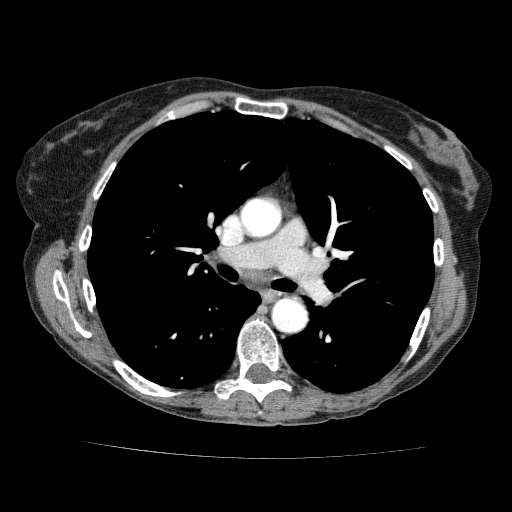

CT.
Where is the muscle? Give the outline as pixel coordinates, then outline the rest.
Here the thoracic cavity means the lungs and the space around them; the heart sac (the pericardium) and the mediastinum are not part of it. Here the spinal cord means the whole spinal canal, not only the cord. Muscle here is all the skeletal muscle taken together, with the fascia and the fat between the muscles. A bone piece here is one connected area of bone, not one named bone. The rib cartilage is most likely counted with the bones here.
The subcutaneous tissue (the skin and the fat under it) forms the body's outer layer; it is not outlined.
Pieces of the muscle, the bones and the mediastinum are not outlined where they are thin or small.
The muscle is outlined by [[215,90],[231,90],[250,97],[236,95],[232,109],[218,109],[208,99],[169,109],[118,161],[109,163],[92,190],[92,199],[97,201],[92,222],[84,225],[78,239],[79,251],[86,253],[88,272],[81,278],[81,289],[87,310],[92,315],[97,311],[119,356],[112,357],[111,364],[141,394],[169,398],[181,395],[182,389],[213,382],[212,391],[220,400],[241,390],[261,404],[274,391],[291,393],[294,374],[326,391],[353,392],[374,384],[399,361],[406,364],[415,354],[430,321],[431,308],[427,303],[435,269],[444,261],[444,241],[438,235],[434,237],[433,214],[439,211],[436,195],[428,186],[419,185],[411,172],[411,161],[393,146],[384,143],[379,147],[329,115],[287,116],[290,107],[284,100],[261,100],[292,97],[328,106],[350,117],[388,139],[422,166],[444,204],[456,269],[464,273],[467,304],[460,327],[424,365],[367,406],[267,421],[217,417],[156,403],[127,389],[81,356],[54,330],[40,306],[33,278],[37,260],[56,239],[63,238],[68,244],[74,237],[79,213],[110,151],[173,100]]; inner edge: [[56,269],[60,270],[62,274],[63,281],[67,288],[69,302],[75,318],[84,329],[91,333],[91,336],[88,338],[84,337],[76,330],[73,321],[69,315],[69,312],[66,304],[59,300],[54,293],[53,285],[52,284],[52,277],[53,276],[53,272]]. The pericardium is outlined by [[248,234],[267,234],[266,235],[265,235],[264,236],[263,236],[262,237],[260,237],[259,238],[253,238],[251,236],[250,236]]. The spinal cord is outlined by [[258,363],[260,363],[261,364],[263,364],[265,365],[271,372],[272,374],[272,376],[268,381],[266,381],[265,382],[260,382],[259,383],[256,383],[255,382],[253,382],[249,378],[247,377],[247,372],[250,368],[250,367],[252,365],[254,364],[257,364]]. The torso is outlined by [[188,76],[259,88],[335,85],[389,96],[451,129],[488,171],[492,193],[478,231],[481,261],[474,314],[461,339],[421,383],[359,416],[316,424],[193,420],[123,393],[71,358],[38,322],[22,269],[34,224],[15,188],[24,152],[54,125],[103,100]]. The thoracic cavity is outlined by [[212,107],[283,123],[316,118],[381,148],[421,188],[432,286],[407,347],[374,383],[323,389],[282,351],[310,321],[303,293],[316,261],[287,164],[216,230],[225,270],[260,297],[226,372],[175,389],[139,374],[112,345],[88,271],[98,201],[142,136]]. The bones appear in 12 outlined pieces: piece 1: [[252,315],[253,318],[258,317],[263,320],[274,332],[293,372],[293,389],[291,392],[284,389],[274,390],[268,393],[261,403],[253,395],[241,389],[235,390],[227,399],[220,399],[213,391],[213,384],[217,379],[230,375],[230,366],[236,355],[240,329]]; inner edge: [[258,363],[260,363],[261,364],[263,364],[265,365],[271,372],[272,374],[272,376],[268,381],[266,381],[265,382],[260,382],[259,383],[256,383],[255,382],[253,382],[249,378],[247,377],[247,372],[250,368],[250,367],[252,365],[254,364],[257,364]]; piece 2: [[114,357],[117,357],[121,359],[135,372],[144,378],[154,383],[156,383],[165,387],[171,388],[174,390],[181,389],[183,392],[179,395],[175,395],[169,397],[154,396],[149,394],[141,393],[139,391],[133,388],[116,371],[112,364],[112,358]]; piece 3: [[236,96],[242,96],[243,97],[247,97],[248,98],[260,100],[261,101],[284,101],[288,105],[289,111],[287,115],[282,119],[278,119],[272,117],[267,117],[261,115],[255,115],[254,114],[243,114],[234,110],[232,108],[233,100]]; piece 4: [[56,269],[60,270],[62,274],[63,281],[67,288],[69,302],[75,318],[84,329],[91,333],[91,336],[88,338],[84,337],[76,330],[73,321],[69,315],[69,312],[66,304],[59,300],[54,293],[53,285],[52,284],[52,277],[53,276],[53,272]]; piece 5: [[426,305],[428,305],[430,308],[430,316],[429,317],[429,321],[427,324],[425,332],[414,354],[406,363],[404,363],[401,361],[400,359],[404,352],[409,348],[408,347],[409,340],[412,335],[412,333],[414,330],[416,323],[419,318],[419,316]]; piece 6: [[197,100],[208,100],[210,101],[213,105],[213,106],[212,106],[210,109],[199,111],[183,117],[180,117],[175,119],[171,119],[165,122],[163,122],[157,126],[154,126],[155,122],[162,115],[169,110],[173,109],[178,106],[186,104],[189,102],[192,102]]; piece 7: [[114,160],[115,160],[117,162],[117,163],[111,175],[109,177],[102,191],[102,193],[101,195],[99,197],[98,200],[95,201],[93,199],[93,190],[97,183],[97,181],[100,177],[100,176],[104,172],[106,168],[110,164],[110,163]]; piece 8: [[84,276],[87,276],[89,278],[90,282],[93,288],[93,291],[94,292],[94,294],[95,295],[95,311],[93,314],[92,314],[88,310],[88,308],[87,307],[87,304],[86,303],[86,301],[85,300],[85,298],[83,294],[83,290],[82,289],[82,278]]; piece 9: [[320,116],[329,116],[332,118],[337,119],[338,120],[343,122],[349,127],[350,127],[356,133],[357,133],[360,137],[355,137],[354,136],[352,136],[345,132],[343,132],[338,129],[336,129],[335,128],[334,128],[333,127],[324,123],[318,118]]; piece 10: [[438,236],[439,237],[440,237],[442,239],[442,240],[443,241],[443,261],[442,262],[442,264],[439,267],[438,267],[437,268],[435,268],[435,266],[434,265],[434,262],[433,261],[433,245],[434,244],[434,238],[435,237],[437,237]]; piece 11: [[384,144],[387,144],[388,145],[393,147],[399,152],[400,152],[403,155],[404,155],[410,161],[410,162],[413,167],[412,170],[411,171],[410,171],[408,169],[407,169],[394,157],[393,157],[389,153],[388,153],[385,150],[384,150],[383,149],[383,145]]; piece 12: [[425,186],[428,187],[433,192],[433,193],[435,195],[435,197],[436,198],[436,201],[437,202],[437,204],[438,205],[438,211],[436,213],[433,213],[432,212],[432,211],[430,209],[430,208],[429,207],[429,206],[424,197],[424,195],[422,192],[422,188]]. The mediastinum is outlined by [[286,165],[297,209],[313,239],[315,261],[314,273],[302,293],[307,304],[309,321],[302,331],[279,342],[273,329],[263,319],[253,317],[252,314],[261,303],[258,292],[240,284],[226,270],[216,253],[220,243],[217,230],[222,220],[254,192],[275,180]], around a hole outlined by [[248,234],[267,234],[266,235],[265,235],[264,236],[263,236],[262,237],[260,237],[259,238],[253,238],[251,236],[250,236]].